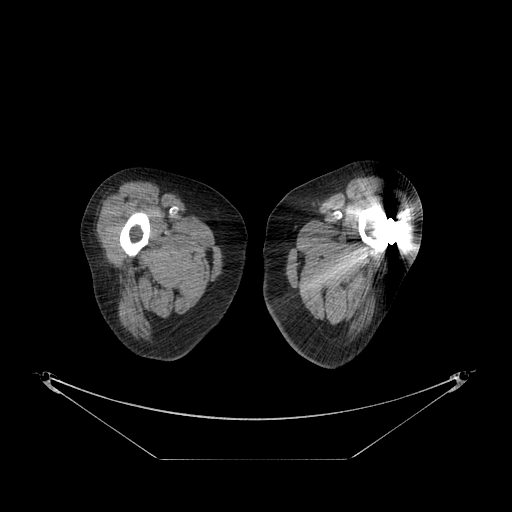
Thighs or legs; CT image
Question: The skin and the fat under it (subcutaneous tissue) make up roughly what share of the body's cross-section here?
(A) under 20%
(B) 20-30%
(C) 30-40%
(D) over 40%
Answer: (D) over 40%
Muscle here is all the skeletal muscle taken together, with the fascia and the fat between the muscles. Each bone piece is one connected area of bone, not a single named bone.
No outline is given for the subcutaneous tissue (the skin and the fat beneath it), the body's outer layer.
Outlined structures:
muscle 1: 368,175 374,175 389,180 408,197 415,214 415,237 414,242 407,254 382,292 377,303 372,323 359,339 345,345 334,341 326,335 308,317 292,294 285,275 285,266 287,255 298,228 320,203 351,179 358,176 with a hole at 366,208 377,208 379,211 382,213 386,219 386,221 388,224 388,240 387,241 387,246 385,249 383,249 382,250 376,250 368,244 365,243 361,238 361,235 357,228 357,225 359,222 359,219 362,212 364,209
muscle 2: 131,180 151,181 175,193 196,216 209,226 221,250 223,261 222,272 208,291 186,314 166,325 154,343 136,340 129,336 122,329 117,315 116,283 111,267 106,261 94,232 96,214 102,200 113,188 125,181; inner edge: 136,211 143,211 148,215 149,223 150,224 150,233 149,234 149,238 148,239 148,242 147,244 144,246 135,256 130,256 128,255 121,247 120,243 119,242 119,235 121,231 121,228 127,219 130,216 130,215
bones 1: 136,211 143,211 148,215 149,223 150,224 150,233 149,234 149,238 148,239 148,242 147,244 144,246 135,256 130,256 128,255 121,247 120,243 119,242 119,235 121,231 121,228 127,219 130,216 130,215
bones 2: 366,208 377,208 379,211 382,213 386,219 386,221 388,224 388,240 387,241 387,246 385,249 383,249 382,250 376,250 368,244 365,243 361,238 361,235 357,228 357,225 359,222 359,219 362,212 364,209
left leg: 361,159 385,162 401,171 413,184 419,195 423,210 421,243 416,257 402,279 386,315 367,346 353,360 342,367 328,369 316,365 296,353 286,342 266,308 262,294 262,249 266,221 279,200 294,187 349,162
right leg: 130,166 149,166 163,169 196,179 213,187 240,212 247,230 248,245 243,275 228,311 219,324 193,349 184,356 171,361 160,361 138,356 118,340 102,317 96,303 90,269 80,240 81,219 97,186 109,175